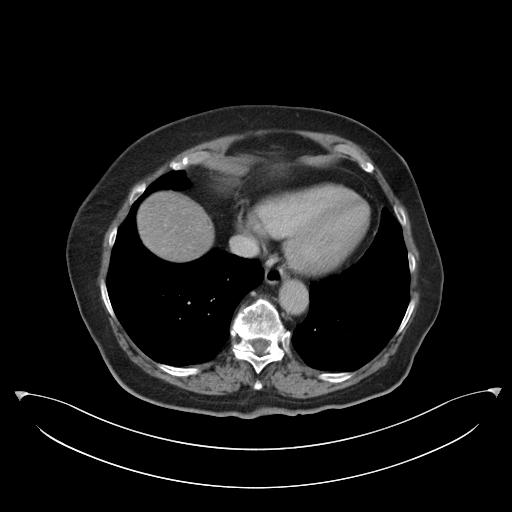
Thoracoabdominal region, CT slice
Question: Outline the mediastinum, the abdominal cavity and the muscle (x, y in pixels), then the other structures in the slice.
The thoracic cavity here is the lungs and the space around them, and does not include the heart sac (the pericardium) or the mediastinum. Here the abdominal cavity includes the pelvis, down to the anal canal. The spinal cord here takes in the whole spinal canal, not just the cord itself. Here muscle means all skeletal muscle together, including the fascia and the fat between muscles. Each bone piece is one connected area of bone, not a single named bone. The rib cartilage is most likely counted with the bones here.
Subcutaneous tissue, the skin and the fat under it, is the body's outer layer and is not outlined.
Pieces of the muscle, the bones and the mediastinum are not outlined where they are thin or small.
Answer: Outlines (x, y in pixels):
mediastinum 1: 193,165 207,170 209,186 221,198 234,191 229,220 238,233 255,240 294,276 317,280 309,285 307,315 292,331 265,297 233,316 242,299 263,281 264,269 257,259 216,247 213,215 178,190 192,185 185,169
mediastinum 2: 342,158 348,158 356,162 362,170 375,176 392,209 391,211 386,206 382,207 377,231 371,243 360,257 375,231 378,221 378,203 373,188 368,181 344,169 331,167 337,164 339,162 338,161 341,160
abdominal cavity 1: 158,190 177,190 179,192 189,195 202,204 210,212 213,217 215,224 215,247 213,249 211,249 203,255 190,261 187,261 186,262 172,262 163,259 154,254 144,245 140,239 136,226 136,212 141,202 147,196
abdominal cavity 2: 279,135 295,135 306,138 321,148 343,157 329,167 315,168 300,163 290,170 276,175 253,175 245,178 230,194 221,197 215,193 210,186 212,180 210,179 208,170 197,164 221,156 240,141 250,138
muscle: 258,128 293,128 331,133 349,139 359,145 371,158 375,165 379,168 393,192 406,208 410,221 412,236 419,252 419,292 420,293 419,304 413,321 407,330 396,352 391,356 388,362 384,366 358,382 344,388 313,397 292,398 282,396 270,390 268,391 261,390 263,387 263,384 258,378 254,381 252,386 252,388 255,391 250,392 246,391 243,393 238,391 229,393 226,395 210,395 192,392 152,376 131,361 120,347 99,300 99,292 98,287 96,285 96,278 100,264 103,238 105,232 126,198 131,187 138,180 155,170 176,154 189,147 203,141 223,135; inner edge: 279,135 306,138 355,162 334,150 346,144 373,164 371,173 387,201 405,212 403,240 415,259 409,282 414,308 403,329 340,382 319,379 322,371 307,365 292,347 291,356 285,353 258,374 248,361 234,357 229,339 214,358 193,365 198,373 172,375 136,345 101,297 110,232 128,214 133,187 149,185 170,171 172,160 204,150 215,158 240,141
spinal cord: 258,338 261,338 262,339 264,339 265,340 267,340 268,341 269,341 269,344 265,348 265,349 264,350 264,352 265,353 262,355 258,355 255,353 255,350 250,342 250,341 251,340 253,340 254,339 257,339
thoracic cavity 1: 171,170 184,170 191,185 158,189 140,202 135,226 143,245 172,263 190,262 218,248 257,260 263,269 262,281 241,299 232,314 227,343 214,358 188,366 158,362 142,351 120,323 106,284 119,226 148,185
thoracic cavity 2: 383,207 388,208 394,214 401,226 407,251 406,256 410,274 409,300 399,325 384,347 357,369 351,371 322,371 311,367 303,361 291,344 292,332 297,325 304,321 309,312 311,282 339,274 364,254 378,231
bones 1: 260,297 267,299 274,305 283,325 286,329 291,332 290,344 292,354 291,356 289,356 285,353 280,361 272,361 268,363 258,374 248,361 242,359 236,359 234,357 234,354 231,349 230,326 238,310 249,305, around a hole outlined by 258,338 261,338 262,339 264,339 265,340 267,340 268,341 269,341 269,344 265,348 265,349 264,350 264,352 265,353 262,355 258,355 255,353 255,350 250,342 250,341 251,340 253,340 254,339 257,339
bones 2: 204,150 208,151 210,153 210,156 211,157 209,159 207,159 196,164 190,164 186,168 184,169 179,169 178,170 172,169 169,165 169,163 172,160 179,161 186,155 188,155 191,153 193,153 197,151 203,151
bones 3: 337,144 346,144 355,151 359,153 365,160 369,161 373,164 374,166 374,169 373,171 371,173 365,171 363,169 362,169 361,167 360,167 357,161 352,156 348,154 342,153 341,152 338,152 334,150 334,147
bones 4: 157,363 163,363 164,364 167,364 168,365 175,366 176,367 188,367 189,366 193,366 194,367 197,367 199,369 199,372 196,374 192,374 187,376 177,376 176,375 172,375 162,370 159,367 158,367 157,366
bones 5: 346,371 347,372 351,372 352,371 354,373 353,374 353,375 351,377 350,377 343,381 341,381 340,382 330,382 329,381 326,381 325,380 322,380 321,379 319,379 318,378 318,374 319,374 322,372 345,372
bones 6: 102,278 104,279 105,281 105,284 106,285 106,288 107,289 107,293 109,297 109,300 112,306 113,311 118,321 115,320 110,315 101,297 101,294 100,293 100,287 99,286 99,282 100,281 100,279
bones 7: 411,298 413,298 415,300 415,304 414,305 414,308 413,309 406,324 404,326 403,329 397,335 394,335 395,334 397,329 400,325 400,323 404,316 404,314 405,313 405,312 406,311 406,309 408,306 409,301
bones 8: 142,182 144,182 147,185 147,186 145,188 144,191 131,204 130,204 130,203 129,202 129,196 130,195 130,193 131,192 131,191 132,190 133,187 135,185 136,185 137,184 139,184
bones 9: 395,204 396,204 399,206 401,206 404,209 404,211 405,212 405,215 406,216 406,223 404,226 402,226 400,224 400,223 398,221 395,214 393,212 393,209 392,208 392,207 393,206 393,205 394,205
bones 10: 408,251 409,251 414,256 414,258 415,259 415,269 413,271 413,272 412,272 411,273 410,273 410,271 409,270 409,263 408,262 408,257 407,256 407,253 408,252
torso: 236,104 305,106 346,115 376,131 408,163 441,256 444,281 437,317 407,376 390,392 347,407 314,413 248,419 221,417 143,400 124,389 105,364 80,315 66,265 66,239 79,204 114,159 140,136 184,116
pericardium: 300,164 315,169 337,168 353,174 370,184 377,203 377,221 375,228 359,257 341,271 320,279 310,279 289,272 271,257 255,239 238,232 232,226 230,220 233,195 245,179 253,176 276,176 278,174 286,173